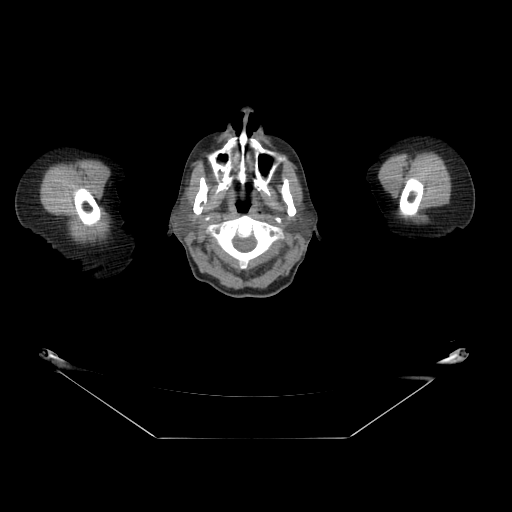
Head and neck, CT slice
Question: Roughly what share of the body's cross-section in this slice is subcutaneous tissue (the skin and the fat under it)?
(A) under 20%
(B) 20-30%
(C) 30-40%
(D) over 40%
Answer: (C) 30-40%
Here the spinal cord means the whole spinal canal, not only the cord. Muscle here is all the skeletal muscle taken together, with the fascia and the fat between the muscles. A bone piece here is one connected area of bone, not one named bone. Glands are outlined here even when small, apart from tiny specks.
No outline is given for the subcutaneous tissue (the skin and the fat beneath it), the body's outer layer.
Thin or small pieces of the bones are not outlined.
The right arm is outlined by (60, 144) (76, 145) (106, 154) (125, 171) (124, 179) (116, 184) (116, 188) (124, 226) (136, 236) (135, 255) (123, 271) (104, 282) (94, 282) (88, 278) (88, 273) (80, 273) (77, 263) (62, 258) (39, 236) (22, 227) (15, 214) (14, 196) (21, 174) (39, 154). The parotid glands appear in 2 outlined pieces: piece 1: (181, 201) (184, 201) (188, 204) (191, 210) (191, 214) (193, 218) (193, 224) (189, 232) (189, 235) (188, 235) (187, 237) (184, 237) (183, 235) (176, 231) (176, 230) (174, 229) (172, 225) (172, 222) (173, 221) (173, 214) (176, 208) (177, 208) (180, 204); piece 2: (302, 206) (305, 206) (307, 208) (307, 209) (310, 212) (311, 212) (312, 214) (312, 216) (313, 217) (313, 222) (311, 225) (311, 227) (309, 229) (309, 232) (305, 235) (303, 235) (301, 233) (301, 232) (298, 229) (296, 225) (296, 219) (298, 215) (298, 212) (300, 208). The left arm is outlined by (419, 132) (431, 133) (443, 138) (462, 156) (468, 166) (474, 184) (475, 209) (470, 223) (465, 228) (458, 228) (443, 238) (400, 240) (392, 236) (386, 230) (384, 217) (371, 193) (370, 184) (366, 180) (365, 175) (368, 167) (376, 160) (377, 155) (389, 144) (405, 135). The head and neck is outlined by (243, 105) (254, 108) (266, 133) (284, 139) (296, 151) (317, 212) (317, 228) (323, 237) (319, 241) (312, 234) (304, 260) (291, 284) (263, 298) (226, 296) (199, 281) (192, 274) (185, 250) (176, 236) (166, 236) (170, 211) (190, 151) (205, 135) (224, 130) (232, 115), around holes outlined by (263, 154) (264, 155) (267, 155) (268, 156) (269, 156) (271, 158) (271, 163) (270, 164) (270, 165) (269, 166) (269, 167) (267, 170) (267, 172) (265, 174) (263, 174) (261, 172) (261, 171) (260, 170) (260, 167) (259, 166) (259, 158) (260, 157) (260, 155) (262, 155) and by (250, 114) (253, 114) (255, 116) (255, 117) (257, 120) (257, 125) (256, 126) (256, 127) (251, 132) (251, 133) (250, 134) (250, 135) (248, 135) (248, 134) (246, 131) (246, 129) (247, 128) (247, 125) (248, 124) (248, 120) (249, 119) (249, 116) (250, 115) and by (238, 114) (242, 114) (242, 117) (241, 118) (241, 130) (240, 131) (240, 132) (238, 134) (237, 134) (237, 131) (236, 130) (236, 129) (234, 127) (234, 126) (233, 125) (233, 120) (234, 119) (234, 118) and by (247, 201) (248, 202) (249, 202) (249, 207) (248, 208) (248, 209) (247, 210) (247, 211) (245, 213) (244, 213) (241, 211) (238, 211) (238, 210) (236, 207) (236, 204) (238, 202) (241, 202) (242, 203) (243, 203) (244, 202) (246, 202). The bones appear in 6 outlined pieces: piece 1: (242, 130) (245, 130) (248, 136) (255, 138) (265, 148) (283, 154) (287, 158) (286, 161) (278, 165) (267, 185) (269, 195) (262, 190) (257, 190) (249, 181) (241, 185) (236, 180) (227, 189) (216, 193) (218, 183) (207, 159) (207, 155) (220, 148) (229, 138) (238, 135) with a hole at (263, 154) (264, 155) (267, 155) (268, 156) (269, 156) (271, 158) (271, 163) (270, 164) (270, 165) (269, 166) (269, 167) (267, 170) (267, 172) (265, 174) (263, 174) (261, 172) (261, 171) (260, 170) (260, 167) (259, 166) (259, 158) (260, 157) (260, 155) (262, 155); piece 2: (244, 214) (253, 219) (264, 221) (279, 227) (283, 232) (283, 238) (279, 238) (273, 241) (264, 252) (251, 259) (248, 262) (246, 268) (241, 269) (239, 267) (238, 261) (227, 253) (218, 244) (217, 240) (206, 232) (206, 229) (210, 224) (216, 224) (226, 220) (234, 219); inner edge: (251, 235) (252, 235) (255, 238) (255, 239) (256, 240) (256, 244) (255, 245) (255, 246) (251, 250) (250, 250) (249, 251) (240, 251) (234, 247) (234, 246) (233, 245) (233, 243) (232, 242) (232, 240) (235, 236) (238, 236) (240, 238) (247, 238); piece 3: (80, 187) (84, 187) (91, 193) (91, 194) (95, 199) (99, 207) (99, 209) (100, 210) (100, 218) (99, 220) (92, 225) (86, 225) (84, 224) (80, 219) (76, 211) (76, 209) (75, 208) (75, 205) (74, 204) (74, 199) (73, 198) (73, 192) (76, 189); piece 4: (410, 177) (414, 177) (418, 179) (423, 184) (423, 194) (422, 195) (421, 200) (419, 203) (418, 209) (416, 213) (412, 216) (407, 216) (406, 217) (404, 217) (401, 215) (399, 211) (398, 205) (399, 204) (399, 199) (400, 198) (401, 192) (404, 187) (404, 185) (406, 181); piece 5: (202, 176) (204, 177) (205, 182) (208, 188) (207, 191) (207, 199) (205, 203) (202, 202) (201, 203) (201, 205) (203, 206) (203, 209) (201, 213) (200, 214) (195, 214) (192, 208) (193, 207) (193, 203) (195, 199) (195, 196) (199, 188) (199, 180) (200, 177); piece 6: (283, 178) (287, 178) (289, 180) (289, 189) (290, 190) (290, 193) (292, 196) (293, 203) (296, 208) (296, 213) (293, 216) (289, 216) (288, 215) (287, 213) (287, 205) (282, 199) (282, 197) (281, 196) (281, 193) (280, 191) (281, 190) (282, 184) (283, 183). The spinal cord is outlined by (251, 235) (252, 235) (255, 238) (255, 239) (256, 240) (256, 244) (255, 245) (255, 246) (251, 250) (250, 250) (249, 251) (240, 251) (234, 247) (234, 246) (233, 245) (233, 243) (232, 242) (232, 240) (235, 236) (238, 236) (240, 238) (247, 238). The muscle appears in 3 outlined pieces: piece 1: (227, 133) (234, 135) (206, 155) (217, 183) (216, 194) (227, 190) (234, 181) (241, 186) (249, 182) (257, 191) (268, 196) (271, 194) (268, 185) (279, 165) (288, 158) (283, 153) (265, 147) (254, 134) (268, 138) (288, 153) (297, 166) (303, 187) (305, 205) (299, 208) (295, 219) (295, 225) (305, 239) (302, 254) (288, 275) (264, 289) (236, 290) (220, 285) (200, 272) (184, 239) (190, 235) (194, 224) (189, 204) (181, 200) (191, 161) (206, 144) with holes at (247, 201) (249, 207) (245, 214) (253, 219) (279, 227) (283, 232) (283, 238) (273, 241) (264, 252) (251, 259) (246, 268) (241, 269) (238, 261) (227, 253) (218, 244) (217, 240) (206, 232) (206, 229) (210, 224) (220, 223) (243, 215) (243, 212) (238, 211) (236, 204) and at (202, 176) (204, 177) (205, 182) (208, 188) (207, 191) (207, 199) (205, 203) (202, 202) (201, 203) (201, 205) (203, 206) (203, 209) (201, 213) (200, 214) (195, 214) (192, 208) (193, 207) (193, 203) (195, 199) (195, 196) (199, 188) (199, 180) (200, 177) and at (283, 178) (287, 178) (289, 180) (289, 189) (290, 190) (290, 193) (292, 196) (293, 203) (296, 208) (296, 213) (293, 216) (289, 216) (288, 215) (287, 213) (287, 205) (282, 199) (282, 197) (281, 196) (281, 193) (280, 191) (281, 190) (282, 184) (283, 183); piece 2: (82, 158) (100, 160) (107, 165) (111, 171) (111, 174) (104, 188) (103, 204) (113, 219) (113, 227) (111, 230) (111, 236) (104, 244) (83, 245) (72, 242) (66, 235) (66, 229) (63, 224) (56, 216) (47, 212) (39, 201) (39, 184) (44, 170) (52, 163) (68, 162) with a hole at (80, 187) (84, 187) (91, 193) (91, 194) (95, 199) (99, 207) (99, 209) (100, 210) (100, 218) (99, 220) (92, 225) (86, 225) (84, 224) (80, 219) (76, 211) (76, 209) (75, 208) (75, 205) (74, 204) (74, 199) (73, 198) (73, 192) (76, 189); piece 3: (404, 149) (432, 149) (435, 150) (446, 161) (446, 164) (451, 176) (452, 190) (451, 191) (450, 202) (449, 204) (438, 210) (430, 219) (430, 222) (427, 224) (415, 224) (396, 217) (395, 214) (390, 208) (381, 184) (377, 177) (379, 168) (383, 162) (392, 154) (397, 153) with a hole at (410, 177) (414, 177) (418, 179) (423, 184) (423, 194) (422, 195) (421, 200) (419, 203) (418, 209) (416, 213) (412, 216) (407, 216) (406, 217) (404, 217) (401, 215) (399, 211) (398, 205) (399, 204) (399, 199) (400, 198) (401, 192) (404, 187) (404, 185) (406, 181).